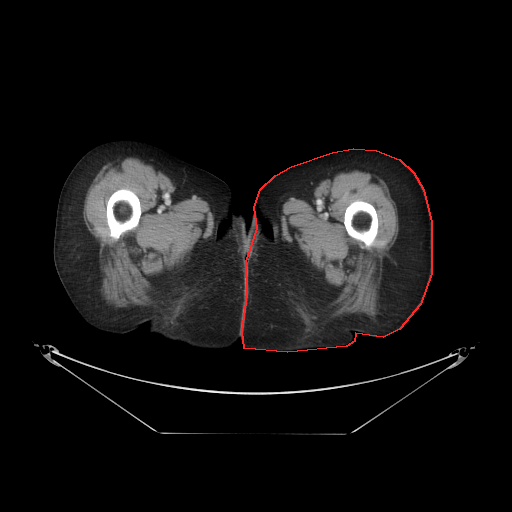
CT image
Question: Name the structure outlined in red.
Answer: red: left leg.
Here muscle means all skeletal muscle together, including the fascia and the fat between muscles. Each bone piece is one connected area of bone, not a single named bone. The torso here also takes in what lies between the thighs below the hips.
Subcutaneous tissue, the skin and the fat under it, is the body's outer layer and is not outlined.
{"left_leg":[[[353,148],[376,150],[399,159],[413,172],[423,189],[431,222],[431,273],[420,304],[399,329],[383,337],[355,333],[354,341],[346,346],[287,352],[244,348],[242,331],[247,294],[246,261],[257,228],[254,207],[260,189],[275,175],[291,166],[332,152]]],"torso":[[[253,210],[254,210],[255,217],[256,218],[256,228],[253,237],[252,246],[245,261],[245,259],[243,256],[243,252],[240,248],[240,245],[238,242],[236,235],[234,233],[233,220],[235,213],[236,214],[243,213],[245,216],[246,221],[248,223],[251,219]]],"right_leg":[[[117,139],[140,140],[157,145],[211,172],[229,186],[234,213],[232,229],[246,265],[241,342],[239,339],[224,349],[198,348],[149,333],[146,324],[124,333],[107,332],[87,323],[74,307],[60,281],[53,260],[58,198],[66,177],[78,160],[96,145]]],"muscle":[{"outer":[[118,157],[136,157],[152,165],[188,193],[205,200],[209,204],[213,216],[210,239],[193,256],[178,267],[149,278],[158,291],[158,298],[151,307],[115,308],[105,303],[100,291],[103,274],[99,262],[99,244],[83,220],[83,206],[89,186],[103,165]],"hole":[[122,188],[129,189],[136,194],[139,199],[140,208],[141,209],[141,214],[139,218],[138,224],[136,227],[131,230],[126,231],[123,233],[117,240],[114,240],[110,236],[109,236],[109,229],[106,221],[106,202],[113,192],[118,189],[121,189]]},{"outer":[[355,169],[374,174],[386,183],[397,209],[398,234],[382,261],[378,288],[379,312],[373,318],[363,314],[350,314],[331,320],[328,305],[338,296],[340,289],[327,283],[305,256],[282,238],[282,205],[291,197],[295,198],[312,191],[322,180],[334,174]],"hole":[[355,200],[362,200],[363,201],[368,202],[373,205],[376,210],[377,219],[378,220],[378,229],[377,230],[377,234],[374,240],[368,246],[366,246],[363,242],[351,237],[347,233],[347,231],[345,228],[345,226],[343,222],[344,220],[344,213],[347,206]]}],"bones":[[[122,188],[129,189],[136,194],[139,199],[140,208],[141,209],[141,214],[139,218],[138,224],[136,227],[131,230],[126,231],[123,233],[117,240],[114,240],[110,236],[109,236],[109,229],[106,221],[106,202],[113,192],[118,189],[121,189]],[[355,200],[362,200],[363,201],[368,202],[373,205],[376,210],[377,219],[378,220],[378,229],[377,230],[377,234],[374,240],[368,246],[366,246],[363,242],[351,237],[347,233],[347,231],[345,228],[345,226],[343,222],[344,220],[344,213],[347,206]]]}